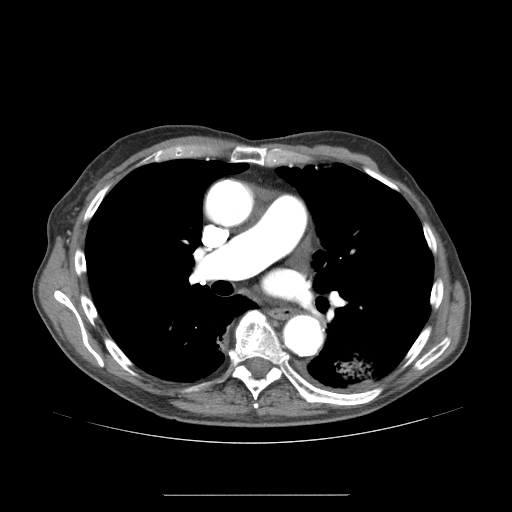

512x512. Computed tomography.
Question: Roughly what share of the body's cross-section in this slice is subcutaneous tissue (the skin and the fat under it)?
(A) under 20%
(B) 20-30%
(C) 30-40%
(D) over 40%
Answer: (A) under 20%
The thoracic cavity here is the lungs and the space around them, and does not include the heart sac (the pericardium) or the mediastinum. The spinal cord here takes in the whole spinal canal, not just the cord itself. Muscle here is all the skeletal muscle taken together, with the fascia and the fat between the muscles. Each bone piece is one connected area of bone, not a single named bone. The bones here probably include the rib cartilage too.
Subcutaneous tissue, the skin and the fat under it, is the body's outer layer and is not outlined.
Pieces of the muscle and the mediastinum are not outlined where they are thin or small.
Outlined structures:
thoracic cavity 1: 183 158; 247 163; 246 169; 217 177; 206 188; 200 240; 213 275; 209 284; 222 296; 240 295; 257 306; 235 318; 233 345; 227 351; 226 367; 194 383; 152 375; 124 353; 110 336; 92 300; 84 251; 90 220; 120 180; 140 166
thoracic cavity 2: 335 162; 363 171; 399 192; 416 214; 433 256; 430 312; 423 328; 401 361; 375 387; 350 393; 320 388; 290 363; 309 363; 326 343; 326 324; 315 307; 310 285; 316 270; 313 255; 325 249; 305 200; 276 172; 281 166; 302 168
pericardium: 230 178; 239 178; 253 181; 264 186; 278 189; 298 199; 302 202; 307 212; 308 227; 302 242; 284 261; 259 276; 248 280; 231 282; 221 277; 218 277; 214 272; 207 255; 206 247; 203 243; 203 212; 206 193; 216 182; 222 179
muscle 1: 191 135; 245 144; 236 145; 226 159; 219 158; 225 155; 209 143; 160 148; 138 161; 111 188; 110 183; 100 188; 82 218; 84 223; 89 221; 84 248; 75 249; 73 261; 76 275; 86 274; 90 297; 81 293; 80 304; 93 327; 100 318; 109 334; 103 337; 103 344; 125 371; 138 377; 135 366; 165 381; 192 384; 180 388; 182 393; 199 391; 230 376; 240 380; 251 393; 255 409; 259 406; 259 394; 283 375; 308 403; 353 406; 375 399; 384 390; 376 383; 400 362; 399 370; 406 368; 426 344; 432 327; 425 325; 431 309; 438 309; 444 295; 443 280; 434 280; 437 241; 430 225; 426 221; 421 223; 394 182; 370 167; 364 165; 361 170; 338 161; 313 162; 305 153; 259 146; 268 143; 325 144; 365 154; 382 173; 402 182; 417 196; 464 290; 461 336; 452 353; 407 386; 383 398; 337 412; 302 416; 250 412; 234 417; 197 414; 129 383; 116 381; 88 365; 61 338; 38 297; 39 279; 56 235; 103 175; 145 148; inner edges: 55 290; 59 290; 64 293; 73 304; 83 323; 87 335; 88 343; 103 360; 104 364; 103 367; 101 367; 98 364; 98 362; 95 357; 84 345; 82 340; 81 330; 79 326; 79 323; 74 313; 67 306; 58 301; 54 297; 54 291, then 446 336; 450 338; 450 342; 448 346; 439 356; 438 356; 435 359; 434 359; 431 362; 430 362; 427 365; 426 365; 421 369; 416 369; 413 367; 414 363; 419 358; 420 358; 430 349; 431 349; 434 346; 435 346; 438 343; 439 343
muscle 2: 222 367; 223 368; 224 368; 224 370; 223 371; 223 372; 220 375; 219 375; 218 376; 216 376; 211 379; 207 379; 206 380; 202 380; 199 382; 197 382; 198 382; 201 380; 204 380; 205 379; 206 379; 211 375; 214 374; 220 368; 221 368
mediastinum: 248 163; 280 166; 275 172; 294 186; 304 200; 324 249; 312 255; 315 270; 309 285; 314 307; 325 324; 326 338; 319 353; 307 363; 290 359; 254 301; 240 294; 222 295; 210 284; 214 275; 201 240; 204 194; 217 178; 240 173 with a hole at 230 178; 239 178; 253 181; 264 186; 278 189; 298 199; 302 202; 307 212; 308 227; 302 242; 284 261; 259 276; 248 280; 231 282; 221 277; 218 277; 214 272; 207 255; 206 247; 203 243; 203 212; 206 193; 216 182; 222 179
torso: 164 124; 204 125; 250 139; 333 129; 383 144; 430 199; 466 274; 471 317; 468 341; 461 355; 412 391; 372 413; 289 427; 224 427; 165 419; 123 399; 80 370; 57 345; 32 299; 33 278; 47 245; 48 215; 88 163; 114 140
spinal cord: 254 357; 259 357; 260 358; 262 358; 268 361; 270 364; 269 369; 267 371; 265 375; 259 378; 256 378; 254 377; 252 373; 248 369; 246 365; 246 362; 247 360; 250 358; 253 358
bones 1: 250 309; 258 309; 265 315; 282 349; 289 355; 290 365; 312 385; 344 394; 379 386; 383 390; 366 403; 308 402; 283 374; 258 394; 256 408; 245 384; 230 375; 196 391; 180 391; 224 372; 229 363; 228 351; 234 345; 234 324, around a hole outlined by 254 357; 259 357; 260 358; 262 358; 268 361; 270 364; 269 369; 267 371; 265 375; 259 378; 256 378; 254 377; 252 373; 248 369; 246 365; 246 362; 247 360; 250 358; 253 358
bones 2: 238 145; 258 146; 259 147; 265 147; 268 149; 276 147; 308 155; 313 160; 311 163; 303 165; 288 164; 287 165; 272 165; 271 166; 261 165; 252 162; 230 162; 228 161; 226 156
bones 3: 184 144; 209 144; 222 153; 224 155; 224 156; 222 157; 198 157; 197 158; 183 157; 182 158; 174 158; 173 159; 169 159; 164 161; 150 162; 135 167; 135 165; 138 162; 160 149; 163 149; 170 146; 183 145
bones 4: 55 290; 59 290; 64 293; 73 304; 83 323; 87 335; 88 343; 103 360; 104 364; 103 367; 101 367; 98 364; 98 362; 95 357; 84 345; 82 340; 81 330; 79 326; 79 323; 74 313; 67 306; 58 301; 54 297; 54 291
bones 5: 105 336; 109 336; 114 341; 114 342; 123 352; 123 353; 133 363; 134 366; 133 366; 132 368; 138 373; 138 376; 134 376; 130 373; 129 373; 126 370; 125 370; 114 359; 114 358; 108 351; 108 350; 106 348; 104 344; 103 339
bones 6: 428 325; 431 327; 431 331; 430 332; 429 337; 426 341; 425 344; 419 353; 416 356; 416 357; 412 361; 412 362; 411 362; 402 370; 400 370; 400 368; 403 363; 403 361; 402 360; 404 358; 405 355; 421 331; 424 328; 424 327
bones 7: 446 336; 450 338; 450 342; 448 346; 439 356; 438 356; 435 359; 434 359; 431 362; 430 362; 427 365; 426 365; 421 369; 416 369; 413 367; 414 363; 419 358; 420 358; 430 349; 431 349; 434 346; 435 346; 438 343; 439 343
bones 8: 107 184; 110 184; 111 185; 110 189; 105 194; 104 197; 100 202; 98 207; 96 209; 92 217; 89 220; 85 221; 84 222; 83 221; 83 218; 84 217; 85 212; 91 200; 96 194; 96 193; 100 189; 101 189; 105 185
bones 9: 438 278; 440 278; 442 280; 442 282; 443 283; 443 295; 442 296; 442 299; 440 302; 439 306; 437 308; 437 309; 434 310; 431 308; 431 306; 430 305; 430 295; 431 294; 431 290; 432 289; 432 286; 433 285; 433 283; 434 281
bones 10: 83 293; 87 296; 88 296; 90 298; 91 298; 91 300; 97 311; 97 313; 98 314; 98 318; 97 318; 95 320; 95 326; 93 326; 91 324; 91 323; 89 321; 82 307; 82 305; 81 304; 81 300; 80 299; 80 296; 81 294
bones 11: 78 248; 80 248; 82 249; 84 252; 84 257; 85 258; 85 266; 86 267; 86 272; 85 273; 83 273; 80 276; 77 275; 76 273; 76 271; 75 270; 75 262; 74 261; 74 258; 75 257; 75 251; 76 249
bones 12: 423 222; 426 222; 429 225; 434 235; 434 237; 436 241; 436 253; 434 255; 433 255; 432 252; 430 250; 427 244; 427 242; 426 241; 426 239; 424 235; 423 228; 422 227; 422 223
bones 13: 364 166; 366 166; 370 168; 375 172; 380 174; 382 176; 385 177; 388 180; 394 183; 398 187; 399 189; 399 191; 397 191; 391 188; 389 186; 386 185; 381 181; 374 178; 372 176; 366 173; 363 170; 363 167